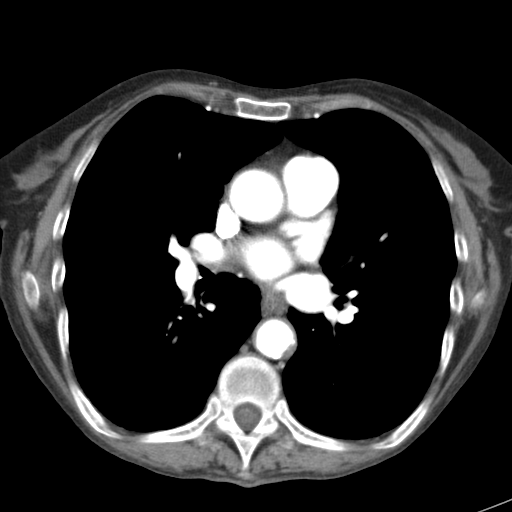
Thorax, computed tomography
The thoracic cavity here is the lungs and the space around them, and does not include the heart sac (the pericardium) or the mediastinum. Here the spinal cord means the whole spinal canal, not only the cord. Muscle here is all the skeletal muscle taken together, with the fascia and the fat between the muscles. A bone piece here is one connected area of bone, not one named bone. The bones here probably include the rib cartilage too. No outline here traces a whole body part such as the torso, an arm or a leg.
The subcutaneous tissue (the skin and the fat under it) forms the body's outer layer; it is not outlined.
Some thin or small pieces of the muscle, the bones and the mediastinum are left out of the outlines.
bones 1: 247 355; 272 366; 297 421; 352 448; 336 451; 296 442; 287 449; 279 442; 286 431; 282 428; 259 442; 242 477; 234 441; 213 425; 208 430; 211 439; 203 445; 193 440; 140 442; 137 436; 142 433; 196 418; 216 389; 224 365; inner edge: 244 403; 250 403; 251 404; 254 405; 256 407; 257 407; 260 411; 260 418; 259 419; 258 422; 249 431; 245 431; 242 428; 241 428; 241 427; 237 423; 237 422; 234 417; 234 411; 235 410; 235 409; 238 406; 239 406
bones 2: 239 96; 241 97; 247 97; 255 100; 286 101; 289 102; 292 105; 291 114; 289 118; 287 119; 283 119; 282 120; 262 120; 261 119; 248 118; 247 117; 242 117; 241 116; 234 115; 232 109; 232 100; 234 98
bones 3: 69 380; 73 380; 80 387; 81 390; 92 405; 110 423; 112 428; 118 432; 122 436; 121 438; 113 438; 112 437; 109 437; 100 432; 97 432; 97 431; 88 423; 79 411; 74 401; 74 399; 71 394; 71 392; 68 385; 68 381
bones 4: 429 395; 431 395; 432 396; 432 400; 429 405; 427 412; 419 422; 417 426; 399 444; 393 447; 383 448; 382 449; 374 449; 370 446; 372 443; 382 439; 393 430; 394 430; 399 425; 400 425; 414 411; 422 400; 425 397
bones 5: 338 98; 356 98; 357 99; 367 100; 373 104; 375 107; 375 110; 373 109; 366 109; 360 107; 345 107; 344 108; 333 109; 321 113; 318 109; 312 107; 312 105; 314 103; 316 102; 320 102; 321 101; 325 101; 326 100; 337 99
bones 6: 26 270; 30 271; 34 275; 37 281; 38 287; 39 288; 39 304; 38 305; 38 307; 35 310; 31 309; 28 306; 23 294; 23 290; 22 289; 22 283; 21 282; 21 280; 22 279; 22 274; 23 272
bones 7: 63 305; 66 306; 67 309; 67 315; 68 316; 68 334; 69 335; 69 344; 68 345; 68 348; 69 349; 69 353; 66 362; 64 361; 62 357; 60 345; 58 340; 57 327; 56 326; 57 324; 57 319; 58 318; 58 312; 59 309
bones 8: 449 325; 453 327; 453 330; 454 331; 454 344; 447 366; 443 374; 441 376; 439 376; 437 374; 437 370; 438 369; 438 365; 440 359; 440 354; 441 353; 441 345; 442 344; 444 331; 446 327
bones 9: 431 156; 434 156; 440 162; 445 171; 445 173; 449 181; 450 187; 453 192; 453 200; 452 202; 448 202; 444 194; 444 192; 440 185; 440 183; 438 180; 438 178; 433 168; 433 166; 432 165; 432 163; 430 159; 430 157
bones 10: 94 139; 98 139; 99 140; 99 143; 91 159; 89 161; 83 173; 81 175; 78 182; 77 183; 75 183; 73 181; 73 174; 74 173; 74 171; 82 155; 84 153; 84 152; 86 150; 86 149; 88 147; 90 143
pericardium: 286 147; 307 150; 322 156; 335 167; 339 177; 335 196; 337 211; 331 233; 320 258; 320 271; 311 281; 305 296; 299 301; 288 299; 283 293; 263 286; 236 270; 217 265; 212 260; 212 234; 224 186; 243 166; 268 154; 275 154
thoracic cavity: 159 94; 276 127; 373 110; 424 150; 456 266; 437 368; 389 433; 319 433; 282 395; 298 348; 289 309; 331 285; 320 262; 340 183; 284 133; 223 184; 203 246; 214 273; 260 295; 203 410; 140 432; 86 396; 63 237; 102 139
spinal cord: 244 403; 250 403; 251 404; 254 405; 256 407; 257 407; 260 411; 260 418; 259 419; 258 422; 249 431; 245 431; 242 428; 241 428; 241 427; 237 423; 237 422; 234 417; 234 411; 235 410; 235 409; 238 406; 239 406
muscle: 172 80; 187 81; 205 85; 210 82; 216 82; 219 87; 224 87; 235 91; 249 93; 262 99; 275 98; 288 95; 305 95; 306 94; 323 95; 335 93; 354 93; 365 96; 402 115; 420 128; 442 153; 459 179; 459 183; 464 192; 467 203; 477 221; 477 224; 481 227; 483 236; 485 238; 490 239; 494 246; 500 265; 502 276; 502 286; 497 303; 488 322; 486 330; 477 346; 463 366; 463 368; 427 420; 407 440; 395 449; 370 461; 361 463; 341 471; 328 473; 321 473; 314 471; 282 472; 267 474; 253 480; 244 480; 229 474; 210 472; 202 469; 186 469; 183 471; 171 471; 144 463; 112 448; 93 434; 84 425; 72 408; 66 402; 65 398; 54 382; 37 351; 17 308; 12 288; 10 285; 12 282; 12 277; 10 272; 10 261; 20 232; 27 228; 31 230; 35 228; 47 204; 48 198; 52 193; 62 173; 62 170; 70 161; 90 131; 99 121; 98 120; 94 121; 94 120; 104 113; 112 112; 127 100; 147 88; 148 86; inner edges: 159 94; 210 102; 230 115; 239 96; 289 102; 292 115; 312 111; 316 102; 363 99; 440 162; 453 192; 452 227; 467 244; 467 260; 456 262; 453 276; 460 280; 463 306; 459 315; 448 314; 453 349; 423 396; 432 396; 427 412; 399 444; 372 448; 383 434; 344 439; 352 447; 345 451; 296 442; 287 449; 279 442; 282 428; 259 442; 242 477; 234 441; 213 425; 203 445; 144 443; 137 439; 141 432; 111 422; 121 438; 97 432; 81 414; 68 385; 79 384; 72 360; 69 353; 64 361; 58 340; 58 312; 66 303; 62 287; 53 291; 51 273; 63 239; 54 240; 52 228; 58 212; 72 204; 73 174; 90 143, then 26 270; 30 271; 34 275; 37 281; 38 287; 39 288; 39 304; 38 305; 38 307; 35 310; 31 309; 28 306; 23 294; 23 290; 22 289; 22 283; 21 282; 21 280; 22 279; 22 274; 23 272, then 481 289; 483 289; 485 291; 485 296; 484 297; 484 300; 483 301; 483 302; 480 305; 478 305; 477 306; 472 306; 472 305; 471 304; 471 303; 472 302; 472 299; 473 298; 473 297; 475 295; 475 294; 479 290; 480 290, then 184 89; 188 89; 189 90; 194 90; 195 91; 200 91; 201 92; 202 92; 203 93; 204 93; 204 98; 198 98; 197 97; 194 97; 193 96; 192 96; 191 95; 187 95; 186 94; 184 94; 184 93; 183 92; 183 90
mediastinum 1: 210 234; 214 264; 236 271; 288 300; 299 302; 306 296; 321 266; 330 284; 305 311; 292 306; 288 309; 297 348; 281 378; 271 364; 255 355; 230 359; 261 317; 261 295; 248 279; 225 271; 216 273; 209 267; 204 246
mediastinum 2: 283 134; 297 145; 310 150; 307 149; 299 149; 292 146; 286 146; 283 149; 275 153; 274 152; 273 153; 272 152; 268 153; 263 157; 261 157; 258 159; 256 159; 254 161; 243 165; 248 163; 256 156; 263 153; 279 143; 282 139